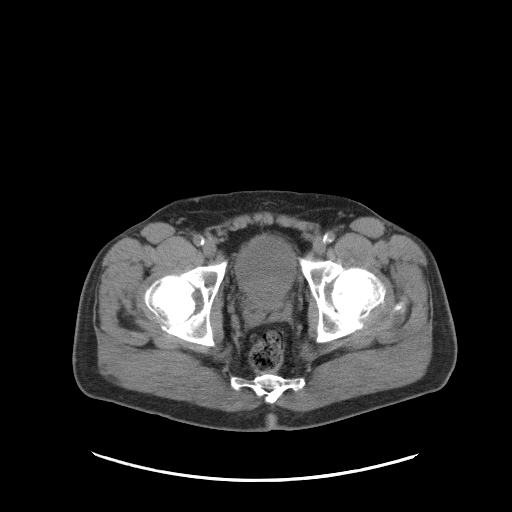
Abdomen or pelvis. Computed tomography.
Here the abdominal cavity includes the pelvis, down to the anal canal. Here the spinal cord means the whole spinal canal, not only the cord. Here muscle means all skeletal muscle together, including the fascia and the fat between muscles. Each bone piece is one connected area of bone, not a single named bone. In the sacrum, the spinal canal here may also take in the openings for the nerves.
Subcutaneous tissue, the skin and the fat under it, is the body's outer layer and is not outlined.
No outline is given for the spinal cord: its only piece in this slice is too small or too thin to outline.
{"bones":[[[299,257],[305,257],[313,261],[331,260],[340,263],[345,268],[354,266],[370,271],[379,278],[385,287],[386,293],[384,302],[370,311],[363,320],[364,325],[361,329],[330,341],[317,343],[316,328],[319,316],[318,308],[310,291],[308,282],[302,273]],[[225,259],[227,261],[225,273],[213,299],[209,313],[209,321],[212,329],[213,340],[215,343],[214,346],[206,346],[190,342],[164,331],[160,327],[155,315],[148,309],[144,302],[143,298],[144,293],[151,283],[165,275],[180,274],[197,266],[216,264]],[[264,373],[275,374],[285,378],[303,378],[305,380],[305,385],[297,391],[288,388],[273,403],[267,403],[264,400],[263,395],[258,396],[250,387],[243,386],[238,390],[235,390],[230,385],[231,376],[237,376],[243,380],[251,382],[254,380],[256,376]],[[398,302],[402,302],[404,304],[404,311],[403,312],[401,312],[400,311],[394,311],[393,310],[393,307],[394,306],[394,305],[396,303],[397,303]]],"muscle":[{"outer":[[262,211],[318,223],[327,247],[348,231],[352,220],[372,216],[421,248],[427,259],[433,319],[432,355],[420,379],[301,412],[266,403],[223,411],[130,390],[104,378],[97,366],[93,308],[108,250],[150,222],[167,222],[180,233],[200,232],[236,215]],"holes":[[[252,224],[296,229],[310,243],[303,257],[364,268],[386,290],[361,329],[321,343],[308,290],[307,340],[299,352],[305,385],[273,403],[230,385],[236,375],[224,342],[222,282],[209,313],[214,346],[164,331],[143,298],[158,278],[226,259],[218,244]],[[398,302],[402,302],[404,304],[404,311],[403,312],[401,312],[400,311],[394,311],[393,310],[393,307],[394,306],[394,305],[396,303],[397,303]]]}],"torso":[[[242,189],[289,189],[342,195],[361,202],[386,219],[419,236],[429,246],[437,261],[456,331],[457,359],[446,384],[437,391],[325,425],[265,432],[200,427],[85,395],[75,382],[71,354],[80,291],[89,266],[99,249],[120,232],[178,198],[199,193]]],"abdominal_cavity":[[[252,224],[277,224],[293,228],[310,243],[310,248],[297,258],[309,288],[307,340],[299,352],[304,366],[304,374],[300,378],[264,372],[248,381],[230,371],[232,348],[224,342],[222,311],[222,282],[228,261],[218,244],[227,238],[228,232]]]}